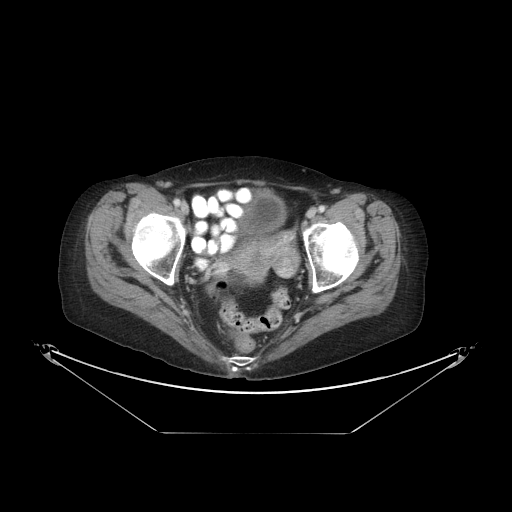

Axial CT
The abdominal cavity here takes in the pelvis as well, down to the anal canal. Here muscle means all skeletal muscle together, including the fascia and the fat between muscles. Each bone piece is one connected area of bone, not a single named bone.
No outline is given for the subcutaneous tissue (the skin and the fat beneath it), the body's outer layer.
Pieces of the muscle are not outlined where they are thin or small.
The torso is outlined by (230, 155) (284, 159) (339, 179) (391, 189) (405, 196) (421, 217) (429, 251) (424, 310) (418, 327) (395, 341) (313, 372) (276, 380) (247, 381) (243, 377) (225, 379) (178, 369) (70, 323) (61, 308) (57, 266) (63, 226) (78, 196) (103, 179) (149, 174) (196, 159). The bones appear in 3 outlined pieces: piece 1: (338, 221) (340, 221) (345, 224) (353, 234) (357, 243) (358, 256) (359, 257) (358, 261) (354, 270) (341, 283) (329, 289) (326, 289) (317, 293) (312, 293) (311, 291) (312, 271) (305, 250) (303, 238) (302, 237) (302, 231) (308, 226) (313, 225) (317, 222) (334, 223); piece 2: (150, 212) (156, 212) (163, 215) (168, 215) (169, 216) (176, 216) (181, 220) (186, 229) (185, 243) (174, 272) (174, 284) (171, 286) (167, 285) (147, 272) (138, 263) (132, 253) (131, 241) (132, 240) (133, 229) (138, 221) (144, 215); piece 3: (233, 355) (256, 356) (257, 358) (251, 364) (251, 369) (250, 370) (246, 370) (243, 366) (239, 366) (238, 367) (238, 369) (236, 371) (232, 371) (231, 369) (231, 364) (230, 363) (227, 363) (223, 360) (221, 360) (220, 359) (220, 357) (221, 356) (232, 356). The muscle is outlined by (240, 178) (326, 193) (365, 192) (385, 202) (400, 229) (402, 255) (387, 308) (251, 370) (258, 358) (251, 355) (286, 327) (306, 294) (307, 259) (310, 291) (317, 294) (345, 281) (360, 257) (342, 221) (302, 227) (309, 194) (250, 183) (188, 188) (185, 225) (176, 215) (150, 211) (134, 225) (130, 241) (137, 263) (170, 287) (183, 251) (181, 294) (217, 348) (242, 354) (219, 357) (233, 372) (102, 300) (87, 279) (84, 233) (88, 215) (110, 188). The abdominal cavity is outlined by (232, 184) (295, 190) (304, 192) (311, 198) (301, 220) (303, 229) (301, 237) (307, 258) (305, 261) (307, 290) (305, 288) (305, 294) (285, 327) (250, 355) (228, 354) (217, 347) (194, 321) (180, 287) (180, 269) (187, 235) (185, 226) (188, 203) (185, 192) (191, 188).